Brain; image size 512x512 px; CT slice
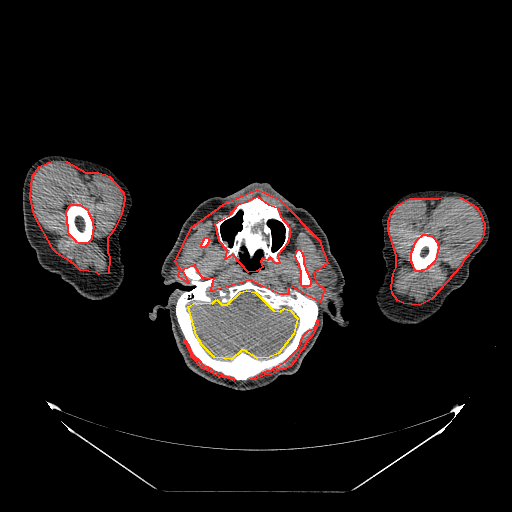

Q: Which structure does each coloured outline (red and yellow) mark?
A: red: muscle; yellow: brain.
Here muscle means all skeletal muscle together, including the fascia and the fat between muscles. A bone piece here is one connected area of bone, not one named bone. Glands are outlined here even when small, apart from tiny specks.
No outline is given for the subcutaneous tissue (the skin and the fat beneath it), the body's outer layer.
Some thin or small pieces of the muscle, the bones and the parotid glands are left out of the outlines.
{"muscle":[{"outer":[[445,196],[460,197],[475,206],[479,211],[484,224],[483,235],[480,241],[463,260],[461,265],[431,299],[419,305],[403,303],[397,300],[392,293],[391,287],[393,273],[396,267],[396,255],[388,230],[388,221],[391,212],[398,204],[409,198],[438,198]],"hole":[[423,234],[426,234],[427,235],[430,235],[432,236],[437,242],[438,249],[437,250],[436,256],[434,261],[429,266],[428,266],[426,269],[424,270],[421,270],[420,271],[416,271],[414,269],[413,265],[411,262],[411,252],[413,249],[415,242],[417,239]]},{"outer":[[257,189],[279,199],[319,240],[327,263],[313,273],[315,281],[324,289],[319,302],[292,287],[288,288],[288,294],[279,294],[250,280],[210,291],[214,278],[203,279],[194,265],[182,270],[188,283],[178,276],[180,269],[175,261],[191,227],[226,202]],"holes":[[[257,196],[268,204],[277,207],[280,216],[289,227],[289,236],[287,243],[277,255],[279,263],[275,263],[270,257],[267,260],[262,258],[260,261],[262,267],[256,271],[248,272],[232,254],[225,259],[227,250],[219,241],[215,223],[229,215],[238,204]],[[298,249],[299,249],[302,253],[302,255],[303,256],[303,263],[304,264],[305,269],[308,274],[308,276],[310,279],[310,284],[309,286],[302,286],[301,284],[301,271],[300,270],[299,264],[296,260],[296,258],[295,257],[296,251]],[[205,237],[208,237],[208,238],[209,239],[209,240],[208,241],[208,242],[207,243],[207,244],[204,247],[202,247],[201,246],[201,244],[202,243],[202,242],[203,241],[203,240],[204,239],[204,238]]]},{"outer":[[53,160],[66,161],[85,172],[98,172],[105,174],[109,176],[123,192],[124,199],[121,214],[113,230],[107,238],[107,252],[109,257],[108,273],[99,274],[96,272],[80,270],[73,263],[57,253],[53,249],[34,215],[30,197],[32,176],[39,166]],"hole":[[71,204],[79,204],[87,209],[88,213],[91,218],[92,224],[93,225],[93,229],[92,230],[92,235],[91,236],[91,239],[87,243],[78,243],[76,242],[76,241],[69,234],[68,232],[68,225],[67,224],[67,217],[66,216],[66,211],[68,207]]},[[317,320],[317,325],[311,336],[307,340],[304,345],[304,347],[299,352],[297,357],[290,366],[284,369],[280,369],[271,374],[264,375],[255,379],[251,379],[251,378],[266,370],[271,370],[274,367],[285,361],[298,348],[303,335],[308,330],[314,328]],[[184,339],[187,343],[191,353],[196,358],[197,358],[203,365],[207,366],[211,369],[219,373],[221,373],[223,375],[227,377],[232,377],[234,379],[231,379],[228,377],[222,377],[218,376],[202,368],[199,365],[198,365],[196,361],[191,356],[191,354],[186,344],[184,342]]],"brain":[[[246,290],[255,292],[273,310],[280,311],[284,308],[290,310],[297,318],[293,334],[278,353],[269,357],[257,358],[244,350],[241,350],[231,359],[214,357],[202,345],[196,335],[188,306],[195,302],[212,303],[216,299],[221,304],[227,304],[240,292]]],"left_arm":[[[421,190],[454,190],[475,198],[482,205],[488,216],[490,234],[486,244],[471,262],[466,282],[447,297],[442,307],[420,323],[400,324],[387,319],[381,313],[375,298],[376,289],[386,271],[382,255],[384,242],[381,219],[386,209],[398,198],[410,192]]],"bones":[{"outer":[[190,266],[195,267],[203,280],[213,278],[208,289],[214,293],[246,281],[279,295],[288,295],[289,288],[295,289],[316,302],[316,322],[302,335],[297,348],[271,369],[246,380],[227,376],[203,364],[192,353],[177,321],[177,299],[192,287],[183,271]],"hole":[[246,290],[255,292],[273,310],[280,311],[284,308],[290,310],[297,318],[293,334],[278,353],[269,357],[257,358],[244,350],[241,350],[231,359],[214,357],[202,345],[196,335],[188,306],[195,302],[212,303],[216,299],[221,304],[227,304],[240,292]]},{"outer":[[257,196],[268,204],[275,205],[289,227],[288,241],[277,255],[279,263],[275,263],[270,257],[264,260],[261,249],[256,250],[250,256],[244,246],[241,247],[238,259],[235,259],[232,254],[225,259],[227,250],[219,241],[215,223],[229,215],[238,204]],"holes":[[[240,211],[241,212],[241,221],[240,222],[240,228],[235,233],[233,237],[232,244],[231,245],[229,245],[228,243],[223,238],[223,236],[222,235],[222,232],[221,231],[221,226],[224,222],[225,222],[227,220],[231,218],[233,218],[238,213],[238,212]],[[270,220],[274,220],[275,221],[277,221],[278,222],[279,222],[283,226],[283,240],[281,242],[281,243],[280,244],[280,245],[275,250],[274,250],[273,249],[273,232],[272,231],[272,229],[270,227],[270,226],[268,224],[268,222]]]},[[71,204],[79,204],[87,209],[88,213],[91,218],[92,224],[93,225],[93,229],[92,230],[92,235],[91,236],[91,239],[87,243],[78,243],[76,242],[76,241],[69,234],[68,232],[68,225],[67,224],[67,217],[66,216],[66,211],[68,207]],[[423,234],[426,234],[427,235],[430,235],[432,236],[437,242],[438,249],[437,250],[436,256],[434,261],[429,266],[428,266],[426,269],[424,270],[421,270],[420,271],[416,271],[414,269],[413,265],[411,262],[411,252],[413,249],[415,242],[417,239]],[[298,249],[299,249],[302,253],[302,255],[303,256],[303,263],[304,264],[305,269],[308,274],[308,276],[310,279],[310,284],[309,286],[302,286],[301,284],[301,271],[300,270],[299,264],[296,260],[296,258],[295,257],[296,251]]],"head":[{"outer":[[255,181],[269,183],[307,210],[325,232],[344,276],[340,314],[348,324],[342,327],[325,313],[295,373],[237,390],[186,365],[167,309],[159,308],[154,320],[148,314],[155,305],[165,305],[174,289],[192,287],[165,284],[161,275],[187,217],[204,200]],"holes":[[[242,247],[245,248],[250,257],[252,257],[256,251],[258,250],[261,250],[262,251],[262,258],[260,261],[262,267],[260,269],[258,269],[256,271],[253,271],[252,272],[248,272],[244,270],[244,268],[238,261],[239,260],[239,256],[243,251],[242,250]],[[240,211],[241,212],[241,221],[240,222],[240,228],[235,233],[233,237],[232,244],[231,245],[229,245],[228,243],[223,238],[223,236],[222,235],[222,232],[221,231],[221,226],[224,222],[225,222],[227,220],[231,218],[233,218],[238,213],[238,212]],[[270,220],[274,220],[275,221],[277,221],[278,222],[279,222],[283,226],[283,240],[281,242],[281,243],[280,244],[280,245],[275,250],[274,250],[273,249],[273,232],[272,231],[272,229],[270,227],[270,226],[268,224],[268,222]]]}],"parotid_glands":[[[327,265],[330,265],[331,266],[331,267],[335,274],[335,283],[332,288],[324,288],[322,286],[321,286],[316,281],[316,280],[315,279],[315,277],[314,276],[314,273],[316,271],[316,270],[317,270],[319,268],[320,268],[321,267],[324,267]],[[174,264],[176,266],[177,266],[178,267],[178,268],[179,269],[179,272],[178,273],[178,275],[176,275],[174,273],[172,273],[172,267],[173,266],[173,265]]],"right_arm":[[[52,154],[101,164],[110,169],[129,190],[132,203],[126,223],[119,234],[120,257],[124,265],[124,278],[116,293],[108,298],[101,300],[88,299],[80,295],[57,274],[44,269],[38,263],[35,251],[25,235],[22,211],[23,181],[27,170],[37,159]]]}